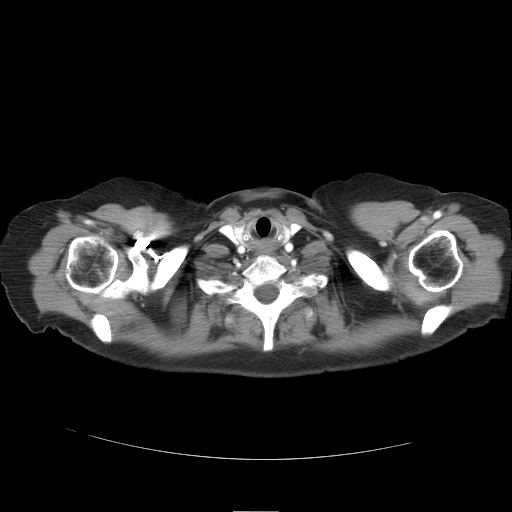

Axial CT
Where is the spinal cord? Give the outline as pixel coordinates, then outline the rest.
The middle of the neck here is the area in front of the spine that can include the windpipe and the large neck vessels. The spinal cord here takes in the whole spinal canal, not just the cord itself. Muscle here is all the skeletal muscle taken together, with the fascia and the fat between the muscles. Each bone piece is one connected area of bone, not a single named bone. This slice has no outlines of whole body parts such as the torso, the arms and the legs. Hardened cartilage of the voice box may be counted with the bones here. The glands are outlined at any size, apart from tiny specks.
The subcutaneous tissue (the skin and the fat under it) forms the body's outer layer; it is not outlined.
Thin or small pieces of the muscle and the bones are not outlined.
The spinal cord is outlined by 266,283 271,283 272,284 273,284 278,291 278,293 277,294 277,296 271,302 269,302 268,303 264,303 263,302 261,302 255,296 255,291 256,290 256,289 258,287 259,287 260,286 261,286. The bones appear in 6 outlined pieces: piece 1: 92,234 102,237 117,252 115,277 123,281 133,270 128,252 136,251 145,259 151,281 158,262 168,251 183,244 189,248 163,287 149,290 146,294 132,291 122,298 106,298 73,288 65,276 70,242 76,237; piece 2: 258,255 276,258 295,276 314,272 328,277 324,287 317,287 313,295 297,298 280,313 273,332 273,348 269,351 263,350 264,329 255,314 239,304 227,304 228,293 210,295 196,283 197,278 239,282 242,271 with a hole at 266,283 271,283 272,284 273,284 278,291 278,293 277,294 277,296 271,302 269,302 268,303 264,303 263,302 261,302 255,296 255,291 256,290 256,289 258,287 259,287 260,286 261,286; piece 3: 440,229 447,230 455,236 456,243 458,248 458,254 463,262 463,267 460,277 451,287 447,288 440,292 431,292 424,289 418,283 417,277 410,272 408,268 408,256 411,248 423,237 429,232 435,230 439,230; piece 4: 351,248 358,249 363,252 370,258 371,258 381,268 382,271 389,277 391,281 391,284 388,290 386,291 381,291 380,290 374,289 372,287 368,285 357,274 355,270 348,261 346,254 345,253 347,249 350,249; piece 5: 440,304 444,304 445,305 450,305 451,306 451,309 450,310 450,313 449,315 439,325 439,326 433,333 429,335 423,335 421,333 421,324 422,323 422,319 423,318 423,316 425,312 429,308 435,305 439,305; piece 6: 97,313 99,314 103,314 106,316 109,321 109,323 110,324 110,328 111,329 111,333 112,334 112,340 111,342 109,343 106,343 105,342 101,341 94,333 90,325 90,321 91,319 93,317 94,314 96,314. The thyroid glands appear in 2 outlined pieces: piece 1: 236,226 244,226 244,228 242,231 242,232 243,233 243,234 242,235 243,236 243,240 244,241 244,243 246,245 246,246 245,246 244,245 241,244 235,237 235,235 234,234 234,230 233,229 233,228 234,228; piece 2: 282,225 285,225 287,227 288,227 288,231 289,232 289,236 288,237 288,239 286,241 286,242 285,242 283,244 282,243 282,239 283,238 283,228 282,227. The middle of the neck is outlined by 254,216 275,218 281,224 281,243 283,245 290,236 288,226 291,224 300,226 290,239 291,249 289,251 274,251 270,255 238,253 234,245 219,229 224,225 231,225 234,237 246,247 243,231 246,222. The muscle is outlined by 391,199 420,206 454,203 482,232 498,236 505,245 499,259 499,302 450,316 450,304 429,307 420,324 423,336 433,334 427,341 403,341 363,357 237,350 163,360 129,345 104,344 112,342 113,334 103,313 93,314 91,329 65,315 39,311 32,296 27,261 59,211 75,215 105,203 127,208 148,204 187,224 230,204 288,203 344,226 348,205 with holes at 254,216 300,226 289,251 270,255 292,275 314,272 328,277 324,287 297,298 280,313 269,351 263,350 264,329 255,314 227,304 228,293 210,295 196,283 197,278 240,281 257,256 238,253 219,229 244,226 and at 92,234 102,237 117,252 115,277 123,281 133,270 128,252 136,251 145,259 151,281 158,262 168,251 183,244 189,248 163,287 149,290 146,294 132,291 122,298 106,298 73,288 65,276 70,242 76,237 and at 440,229 447,230 455,236 456,243 458,248 458,254 463,262 463,267 460,277 451,287 447,288 440,292 431,292 424,289 418,283 417,277 410,272 408,268 408,256 411,248 423,237 429,232 435,230 439,230 and at 351,248 358,249 363,252 370,258 371,258 381,268 382,271 389,277 391,281 391,284 388,290 386,291 381,291 380,290 374,289 372,287 368,285 357,274 355,270 348,261 346,254 345,253 347,249 350,249 and at 307,308 311,308 313,310 313,314 310,317 309,317 308,318 307,318 306,317 305,317 305,314 304,313 304,311 305,310 305,309 306,309.